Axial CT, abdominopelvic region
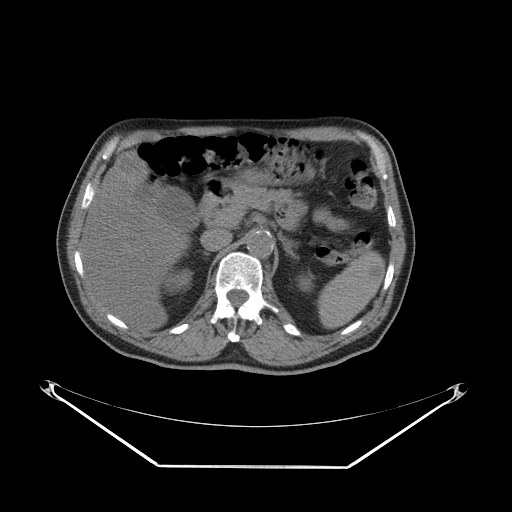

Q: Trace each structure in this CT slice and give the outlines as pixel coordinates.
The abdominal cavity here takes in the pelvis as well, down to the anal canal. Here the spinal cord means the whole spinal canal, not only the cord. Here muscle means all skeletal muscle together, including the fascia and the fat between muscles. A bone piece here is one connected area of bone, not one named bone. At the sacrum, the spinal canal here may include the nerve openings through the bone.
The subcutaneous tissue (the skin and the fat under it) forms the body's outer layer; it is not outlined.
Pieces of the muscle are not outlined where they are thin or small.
A: {"bones":[{"outer":[[234,251],[247,253],[260,261],[263,272],[262,297],[279,310],[275,313],[263,308],[259,313],[261,324],[239,319],[236,324],[237,342],[231,342],[227,337],[233,327],[232,319],[219,318],[215,323],[210,322],[217,300],[214,283],[218,264],[225,255]],"hole":[[234,289],[236,289],[237,290],[243,290],[244,291],[245,291],[248,294],[248,297],[247,298],[247,299],[238,307],[237,307],[236,308],[232,305],[232,304],[230,302],[230,301],[227,297],[227,293],[229,291],[230,291],[231,290],[233,290]]},[[358,130],[364,133],[366,135],[369,136],[375,142],[375,143],[379,147],[383,153],[383,155],[385,159],[385,170],[387,174],[387,178],[386,179],[383,179],[379,175],[379,172],[376,165],[376,160],[375,159],[374,154],[366,142],[358,136],[356,132]],[[88,182],[92,182],[93,184],[96,186],[95,188],[95,192],[87,208],[85,209],[82,209],[81,208],[81,202],[82,201],[82,199],[84,195],[84,192],[85,191],[85,188],[86,187],[86,185]],[[389,261],[392,261],[393,263],[393,265],[394,266],[394,268],[393,269],[393,276],[392,277],[391,282],[388,286],[388,287],[385,290],[382,290],[382,287],[384,283],[384,278],[386,274],[386,271],[388,267],[388,264],[389,263]],[[116,136],[117,137],[118,137],[118,142],[117,143],[117,144],[116,145],[113,152],[111,154],[110,157],[108,159],[105,159],[104,160],[102,158],[102,155],[103,154],[106,147],[108,145],[109,142],[114,137],[115,137]],[[75,250],[78,250],[79,251],[79,253],[80,254],[80,257],[81,258],[81,262],[82,263],[82,266],[83,267],[83,277],[81,277],[79,275],[79,274],[77,272],[77,271],[76,270],[76,267],[75,266],[75,262],[74,261],[74,251]],[[388,205],[390,205],[392,207],[392,209],[393,210],[393,212],[394,213],[394,215],[395,216],[395,220],[396,221],[396,223],[395,224],[395,226],[394,227],[391,227],[390,226],[389,226],[388,225],[388,221],[387,220],[387,214],[386,213],[386,207]],[[284,323],[290,323],[291,324],[292,324],[293,325],[294,325],[295,326],[296,326],[301,331],[301,335],[300,336],[296,336],[295,335],[293,335],[292,334],[290,334],[289,333],[288,333],[283,328],[283,324]],[[107,313],[109,313],[115,316],[117,318],[118,318],[120,320],[124,322],[128,326],[128,328],[126,329],[124,329],[112,323],[107,318],[106,316]],[[360,318],[361,318],[362,319],[362,322],[361,323],[361,324],[357,328],[356,328],[354,330],[351,331],[347,334],[341,334],[340,333],[340,331],[341,331],[344,328],[345,328],[347,326],[348,326],[350,324],[351,324],[353,322],[356,321]],[[183,323],[188,323],[188,324],[189,325],[188,328],[186,330],[183,331],[181,333],[177,333],[176,334],[175,334],[174,333],[170,333],[169,332],[169,329],[170,328],[171,328],[174,326],[176,326],[177,325],[180,325]]],"torso":[[[320,115],[361,119],[386,137],[396,156],[413,216],[415,254],[408,285],[397,315],[374,348],[336,365],[294,375],[268,375],[235,369],[173,369],[122,355],[84,325],[61,280],[55,237],[60,212],[73,180],[93,142],[108,125],[130,116],[300,118]]],"abdominal_cavity":[[[243,129],[317,141],[344,140],[359,144],[368,153],[383,195],[390,239],[383,283],[367,311],[339,331],[306,333],[272,293],[270,264],[240,250],[219,260],[201,300],[176,325],[140,331],[106,311],[84,277],[79,240],[86,209],[106,165],[137,143]]],"spinal_cord":[[[234,289],[236,289],[237,290],[243,290],[244,291],[245,291],[248,294],[248,297],[247,298],[247,299],[238,307],[237,307],[236,308],[232,305],[232,304],[230,302],[230,301],[227,297],[227,293],[229,291],[230,291],[231,290],[233,290]]],"muscle":[{"outer":[[190,126],[356,129],[357,136],[373,154],[378,175],[383,180],[388,178],[384,153],[376,142],[369,135],[359,130],[382,143],[391,161],[406,246],[390,307],[378,326],[323,356],[294,365],[262,363],[238,343],[239,320],[261,325],[263,309],[275,314],[280,311],[263,297],[263,262],[270,266],[271,293],[295,323],[284,322],[282,328],[296,337],[302,332],[347,335],[357,329],[381,288],[385,291],[391,284],[395,268],[389,260],[389,227],[396,226],[396,216],[390,204],[385,206],[372,160],[359,143],[302,138],[253,128],[185,133],[137,142],[121,149],[105,165],[97,185],[92,181],[85,185],[80,202],[85,213],[78,238],[79,250],[73,251],[76,272],[84,278],[95,301],[107,312],[106,318],[124,330],[130,327],[152,333],[168,329],[175,335],[186,331],[190,326],[188,322],[177,324],[198,306],[208,289],[210,275],[216,269],[213,283],[216,300],[209,322],[232,320],[232,327],[226,334],[230,342],[211,359],[182,361],[136,346],[91,319],[80,300],[66,243],[71,212],[93,159],[115,132]],"hole":[[116,136],[117,137],[118,137],[118,142],[117,143],[117,144],[116,145],[113,152],[111,154],[110,157],[108,159],[105,159],[104,160],[102,158],[102,155],[103,154],[106,147],[108,145],[109,142],[114,137],[115,137]]}]}